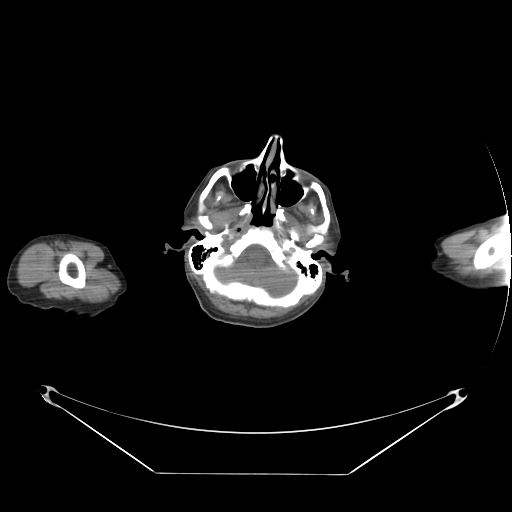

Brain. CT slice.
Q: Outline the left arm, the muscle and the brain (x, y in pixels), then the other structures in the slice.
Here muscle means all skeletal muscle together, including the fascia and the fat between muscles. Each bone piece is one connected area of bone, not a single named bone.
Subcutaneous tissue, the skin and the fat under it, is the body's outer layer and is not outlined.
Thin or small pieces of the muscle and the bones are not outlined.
A: The left arm is outlined by (505, 211) (507, 211) (508, 213) (508, 222) (511, 232) (510, 287) (506, 285) (501, 287) (475, 290) (465, 287) (449, 286) (440, 281) (438, 277) (429, 268) (428, 265) (429, 260) (435, 254) (433, 245) (434, 240) (437, 237) (457, 228) (475, 222) (483, 221). The muscle appears in 8 outlined pieces: piece 1: (50, 238) (80, 239) (90, 242) (100, 247) (103, 251) (110, 267) (121, 282) (121, 287) (119, 290) (106, 301) (99, 303) (84, 303) (83, 302) (66, 302) (51, 298) (46, 298) (32, 288) (21, 286) (17, 282) (16, 277) (16, 267) (20, 256) (32, 244) with a hole at (67, 252) (71, 252) (75, 254) (82, 261) (83, 263) (83, 265) (85, 269) (85, 272) (86, 273) (86, 281) (85, 282) (85, 286) (82, 288) (75, 288) (72, 286) (65, 284) (63, 283) (59, 278) (59, 276) (58, 275) (59, 261) (64, 255) (64, 254); piece 2: (505, 220) (508, 220) (509, 228) (511, 232) (511, 279) (506, 278) (502, 280) (497, 278) (489, 278) (488, 277) (483, 278) (468, 276) (463, 277) (455, 273) (448, 266) (443, 258) (440, 248) (440, 244) (445, 238) (492, 221) (504, 221), around a hole outlined by (499, 232) (503, 232) (504, 233) (506, 233) (509, 237) (509, 249) (508, 250) (508, 252) (501, 260) (495, 263) (492, 266) (488, 267) (487, 268) (484, 268) (483, 269) (475, 269) (473, 267) (473, 256) (475, 253) (476, 249) (483, 241) (487, 239) (490, 236); piece 3: (189, 267) (194, 274) (201, 276) (205, 287) (211, 294) (217, 294) (233, 301) (251, 302) (263, 307) (287, 308) (296, 305) (303, 296) (311, 295) (317, 290) (317, 292) (302, 307) (288, 315) (274, 320) (244, 320) (228, 318) (213, 309) (204, 300) (194, 279) (190, 275); piece 4: (223, 177) (228, 188) (243, 201) (238, 215) (246, 216) (251, 222) (244, 232) (227, 245) (223, 243) (224, 236) (226, 235) (230, 240) (235, 236) (229, 223) (225, 222) (220, 231) (211, 232) (213, 223) (210, 215) (203, 213) (206, 210) (204, 203) (206, 197) (215, 183); piece 5: (310, 191) (313, 191) (318, 197) (323, 221) (316, 225) (310, 223) (307, 226) (307, 232) (310, 236) (303, 246) (301, 246) (298, 244) (300, 240) (300, 234) (295, 227) (291, 226) (286, 230) (287, 236) (281, 236) (284, 230) (282, 223) (287, 221) (285, 207) (304, 200); piece 6: (325, 192) (329, 201) (329, 207) (332, 214) (332, 218) (333, 219) (333, 228) (334, 231) (333, 232) (333, 237) (331, 243) (328, 245) (319, 245) (322, 244) (325, 240) (325, 235) (328, 232) (330, 226) (330, 223) (331, 222) (331, 215) (330, 214) (330, 210) (327, 205); piece 7: (199, 193) (198, 195) (198, 197) (197, 198) (197, 215) (196, 216) (196, 219) (197, 220) (197, 222) (204, 229) (204, 230) (203, 230) (202, 228) (199, 225) (193, 222) (191, 222) (189, 219) (189, 213) (190, 212) (190, 209) (191, 208) (191, 206) (192, 205) (193, 200); piece 8: (212, 173) (212, 174) (210, 176) (210, 177) (209, 178) (209, 179) (208, 180) (208, 181) (206, 183) (206, 184) (204, 186) (204, 187) (202, 189) (202, 188) (203, 187) (203, 186) (205, 184) (205, 183) (206, 182) (206, 181) (208, 179) (208, 177). The brain is outlined by (252, 245) (258, 245) (264, 248) (278, 268) (286, 270) (287, 267) (289, 267) (295, 273) (296, 280) (293, 287) (289, 291) (281, 295) (272, 295) (264, 287) (259, 285) (252, 285) (238, 280) (223, 282) (217, 277) (215, 273) (216, 268) (231, 267) (242, 252). The head is outlined by (274, 132) (281, 135) (286, 161) (328, 186) (341, 232) (331, 268) (347, 269) (349, 280) (328, 273) (319, 299) (288, 323) (272, 328) (229, 324) (201, 309) (185, 276) (184, 253) (163, 253) (164, 244) (180, 247) (191, 235) (203, 237) (181, 225) (207, 170) (256, 157); inner edges: (249, 165) (252, 166) (254, 180) (257, 183) (254, 204) (257, 205) (262, 201) (262, 214) (265, 213) (269, 204) (269, 211) (273, 215) (269, 225) (254, 224) (252, 222) (254, 217) (252, 212) (253, 201) (251, 199) (244, 201) (234, 191) (232, 185) (234, 176) (243, 172), then (288, 172) (290, 172) (291, 173) (290, 179) (292, 181) (295, 182) (299, 185) (299, 187) (301, 189) (301, 195) (295, 203) (291, 205) (289, 205) (288, 206) (284, 206) (280, 203) (278, 203) (278, 194) (281, 189) (281, 182) (283, 178) (284, 178) (288, 174), then (278, 148) (278, 149) (279, 150) (279, 161) (278, 162) (278, 167) (277, 168) (277, 169) (278, 170) (277, 171) (273, 167) (272, 168) (271, 167) (270, 167) (271, 166) (271, 164) (272, 163) (272, 162) (273, 161) (273, 160) (276, 155) (276, 152) (277, 151), then (197, 247) (200, 247) (201, 248) (201, 249) (200, 250) (200, 253) (199, 254) (199, 261) (198, 262) (197, 262) (196, 263) (196, 264) (196, 263) (195, 262) (195, 260) (194, 259) (194, 249) (195, 249), then (320, 251) (323, 251) (324, 252) (325, 252) (327, 254) (327, 256) (326, 256) (325, 255) (321, 255) (317, 259) (316, 259) (315, 258) (314, 258) (313, 257) (313, 254) (315, 254) (316, 253) (317, 253) (318, 252) (319, 252). The right arm is outlined by (54, 232) (68, 232) (88, 237) (103, 243) (109, 249) (116, 263) (124, 274) (128, 285) (126, 291) (113, 307) (89, 318) (71, 311) (63, 312) (55, 308) (44, 310) (28, 304) (23, 304) (20, 303) (16, 297) (9, 292) (6, 285) (6, 276) (13, 256) (31, 238). The bones appear in 4 outlined pieces: piece 1: (272, 136) (282, 139) (283, 155) (299, 170) (301, 182) (320, 184) (330, 215) (324, 240) (312, 250) (321, 264) (321, 284) (287, 307) (211, 293) (187, 258) (190, 246) (205, 230) (197, 219) (199, 195) (223, 166) (235, 175) (233, 190) (223, 176) (205, 197) (202, 213) (209, 215) (209, 231) (218, 233) (228, 223) (234, 236) (223, 236) (227, 246) (252, 223) (272, 223) (270, 204) (264, 213) (263, 201) (255, 204) (258, 183) (253, 166) (237, 171), around holes outlined by (252, 245) (258, 245) (264, 248) (278, 268) (286, 270) (287, 267) (289, 267) (295, 273) (296, 280) (293, 287) (289, 291) (281, 295) (272, 295) (264, 287) (259, 285) (252, 285) (238, 280) (223, 282) (217, 277) (215, 273) (216, 268) (231, 267) (242, 252) and by (288, 172) (291, 173) (290, 179) (301, 189) (297, 201) (304, 200) (313, 191) (322, 211) (323, 221) (307, 226) (310, 236) (303, 246) (298, 244) (300, 234) (293, 226) (286, 230) (287, 236) (281, 236) (282, 223) (287, 221) (287, 217) (285, 207) (278, 203) (278, 194) and by (278, 148) (278, 149) (279, 150) (279, 161) (278, 162) (278, 167) (277, 168) (277, 169) (278, 170) (277, 171) (273, 167) (272, 168) (271, 167) (270, 167) (271, 166) (271, 164) (272, 163) (272, 162) (273, 161) (273, 160) (276, 155) (276, 152) (277, 151) and by (197, 247) (200, 247) (201, 248) (201, 249) (200, 250) (200, 253) (199, 254) (199, 261) (198, 262) (197, 262) (196, 263) (196, 264) (196, 263) (195, 262) (195, 260) (194, 259) (194, 249) (195, 249); piece 2: (499, 232) (503, 232) (504, 233) (506, 233) (509, 237) (509, 249) (508, 250) (508, 252) (501, 260) (495, 263) (492, 266) (488, 267) (487, 268) (484, 268) (483, 269) (475, 269) (473, 267) (473, 256) (475, 253) (476, 249) (483, 241) (487, 239) (490, 236); piece 3: (67, 252) (71, 252) (75, 254) (82, 261) (83, 263) (83, 265) (85, 269) (85, 272) (86, 273) (86, 281) (85, 282) (85, 286) (82, 288) (75, 288) (72, 286) (65, 284) (63, 283) (59, 278) (59, 276) (58, 275) (59, 261) (64, 255) (64, 254); piece 4: (249, 200) (251, 200) (252, 201) (252, 209) (251, 210) (251, 212) (253, 215) (253, 217) (251, 221) (248, 219) (246, 215) (243, 215) (241, 216) (239, 215) (238, 213) (241, 209) (244, 202) (246, 201) (248, 201).